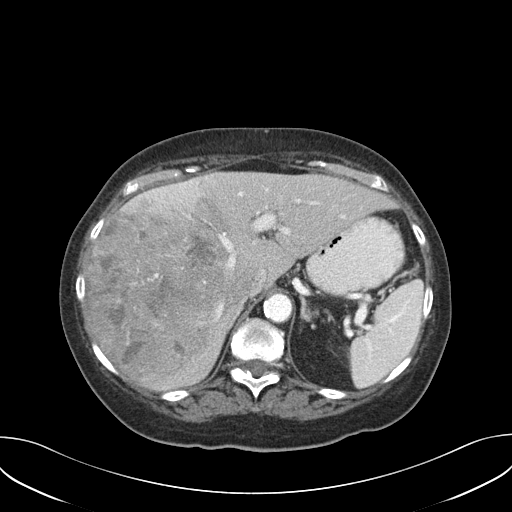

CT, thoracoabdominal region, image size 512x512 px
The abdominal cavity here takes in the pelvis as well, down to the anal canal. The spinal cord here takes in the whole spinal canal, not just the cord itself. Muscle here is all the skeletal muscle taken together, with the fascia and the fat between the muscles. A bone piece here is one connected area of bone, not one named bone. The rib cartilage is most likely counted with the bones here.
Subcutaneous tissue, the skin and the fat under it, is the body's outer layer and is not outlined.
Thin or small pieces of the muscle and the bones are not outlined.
{"spinal_cord":[[[255,359],[258,359],[259,360],[262,360],[263,361],[266,362],[268,364],[268,370],[267,371],[267,372],[266,373],[265,373],[260,376],[258,376],[257,377],[254,376],[249,370],[248,370],[245,368],[245,363],[247,361],[248,361],[249,360],[254,360]]],"bones":[{"outer":[[254,317],[261,318],[275,325],[284,332],[284,353],[278,361],[280,366],[277,368],[280,379],[276,383],[265,386],[260,391],[257,398],[254,398],[251,391],[244,384],[236,382],[230,375],[230,370],[238,364],[238,361],[230,351],[232,334],[247,318]],"hole":[[255,359],[258,359],[259,360],[262,360],[263,361],[266,362],[268,364],[268,370],[267,371],[267,372],[266,373],[265,373],[260,376],[258,376],[257,377],[254,376],[249,370],[248,370],[245,368],[245,363],[247,361],[248,361],[249,360],[254,360]]},[[319,159],[327,162],[341,164],[366,173],[377,174],[385,181],[389,190],[387,192],[385,192],[375,187],[371,187],[369,185],[353,177],[341,173],[329,171],[319,166],[311,166],[308,165],[307,164],[308,161],[318,160]],[[190,165],[197,165],[201,168],[195,172],[184,172],[179,177],[157,180],[144,186],[142,188],[138,189],[136,191],[126,196],[122,194],[122,190],[126,183],[134,178],[151,172],[155,172],[168,168],[169,169],[176,168],[182,170],[186,166],[189,166]],[[94,341],[100,348],[100,349],[105,355],[105,356],[109,360],[109,361],[113,365],[113,366],[118,371],[119,373],[118,375],[116,375],[114,374],[108,369],[107,369],[97,358],[97,357],[95,355],[93,351],[93,349],[91,345],[91,343]],[[408,352],[409,352],[409,354],[412,357],[409,364],[393,379],[385,383],[383,383],[382,380],[383,380],[384,378],[385,378],[390,372],[391,372],[392,370],[393,370],[394,368],[395,368],[396,366],[397,366],[398,364],[406,357],[408,354]],[[321,387],[332,388],[333,389],[338,389],[339,390],[343,390],[344,391],[346,391],[347,392],[347,396],[346,397],[340,398],[339,399],[337,399],[336,398],[328,398],[327,397],[325,397],[322,395],[318,394],[316,392],[316,390],[317,389],[319,389]],[[427,285],[430,285],[432,288],[432,290],[433,291],[433,300],[432,301],[432,305],[431,306],[431,308],[430,309],[430,311],[428,314],[428,316],[427,317],[427,318],[426,318],[425,319],[423,319],[423,307],[424,306],[424,296],[425,295],[425,288]],[[175,390],[188,390],[190,392],[189,393],[189,395],[188,395],[186,397],[184,398],[182,398],[179,400],[176,400],[175,401],[170,401],[169,400],[165,400],[164,399],[162,399],[160,398],[160,394],[161,394],[163,392],[167,392],[168,391],[174,391]],[[79,273],[82,273],[83,274],[83,275],[84,276],[84,282],[85,283],[85,294],[84,295],[84,300],[83,301],[83,302],[80,302],[78,300],[78,299],[76,296],[76,290],[75,289],[75,282],[76,281],[76,277],[77,276],[77,275]],[[411,222],[414,222],[416,224],[417,224],[420,227],[420,228],[422,230],[422,231],[425,236],[425,244],[423,246],[422,246],[421,247],[419,245],[419,244],[415,237],[414,232],[413,231],[413,230],[411,227],[411,225],[410,224],[410,223]],[[101,218],[103,218],[104,219],[104,222],[103,223],[103,225],[102,226],[102,227],[101,228],[101,229],[100,230],[97,237],[94,240],[91,240],[90,239],[90,233],[91,232],[91,230],[94,226],[94,225],[97,222],[97,221]]],"torso":[[[228,126],[308,127],[358,141],[397,167],[432,219],[449,267],[451,327],[427,389],[414,407],[393,424],[331,444],[289,451],[175,446],[153,441],[125,426],[102,404],[80,372],[63,332],[58,303],[62,259],[75,225],[112,172],[134,153],[179,133]]],"muscle":[{"outer":[[282,151],[303,151],[304,152],[318,151],[343,157],[350,161],[359,164],[362,167],[370,171],[375,171],[380,174],[390,182],[411,205],[414,211],[422,220],[426,230],[426,234],[430,243],[433,267],[435,271],[435,282],[437,284],[437,304],[435,306],[436,307],[435,324],[433,327],[433,333],[428,344],[424,349],[418,362],[413,369],[404,375],[383,394],[376,397],[369,402],[358,405],[339,414],[319,418],[315,420],[307,420],[300,422],[297,420],[281,418],[277,416],[258,415],[254,413],[248,413],[236,415],[219,415],[210,422],[202,422],[201,423],[182,421],[161,414],[151,409],[144,403],[134,399],[129,394],[110,381],[98,370],[92,356],[89,353],[88,349],[84,345],[84,342],[82,340],[78,329],[77,320],[75,316],[75,310],[73,303],[74,295],[72,286],[74,284],[76,263],[85,233],[91,222],[97,217],[115,192],[129,177],[132,176],[139,170],[144,168],[150,168],[159,162],[172,159],[186,158],[192,156],[202,156],[209,154],[253,154],[255,155],[267,152],[276,152],[277,153]],"holes":[[[253,159],[328,173],[307,164],[319,159],[377,174],[422,230],[433,300],[409,364],[393,379],[328,398],[285,352],[280,379],[254,398],[232,379],[238,361],[229,351],[189,395],[170,401],[114,374],[95,355],[75,282],[86,275],[97,221],[150,186]],[[190,165],[197,165],[201,168],[195,172],[184,172],[179,177],[157,180],[144,186],[142,188],[138,189],[136,191],[126,196],[122,194],[122,190],[126,183],[134,178],[151,172],[155,172],[168,168],[169,169],[176,168],[182,170],[186,166],[189,166]]]}],"abdominal_cavity":[[[253,159],[340,175],[384,192],[409,222],[424,268],[421,325],[411,350],[375,385],[344,390],[302,375],[284,352],[294,311],[285,291],[265,295],[232,332],[225,361],[187,389],[159,393],[141,387],[96,342],[85,276],[94,241],[112,212],[150,186]]],"mediastinum":[[[272,292],[285,292],[286,294],[291,296],[291,298],[293,300],[293,311],[291,314],[291,319],[289,320],[287,329],[285,331],[275,324],[261,317],[258,316],[252,317],[250,316],[250,314],[252,313],[252,311],[256,307],[258,303],[265,296],[270,294]]]}